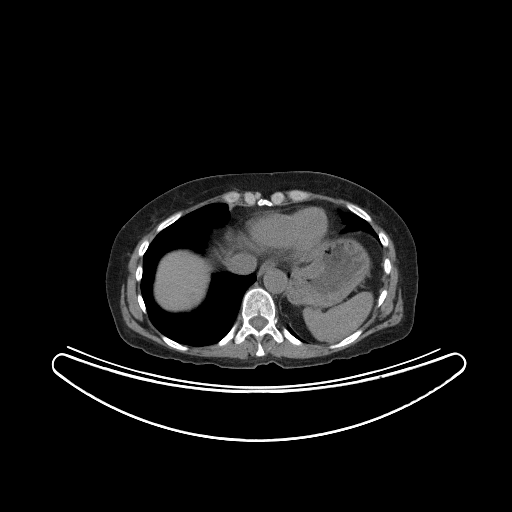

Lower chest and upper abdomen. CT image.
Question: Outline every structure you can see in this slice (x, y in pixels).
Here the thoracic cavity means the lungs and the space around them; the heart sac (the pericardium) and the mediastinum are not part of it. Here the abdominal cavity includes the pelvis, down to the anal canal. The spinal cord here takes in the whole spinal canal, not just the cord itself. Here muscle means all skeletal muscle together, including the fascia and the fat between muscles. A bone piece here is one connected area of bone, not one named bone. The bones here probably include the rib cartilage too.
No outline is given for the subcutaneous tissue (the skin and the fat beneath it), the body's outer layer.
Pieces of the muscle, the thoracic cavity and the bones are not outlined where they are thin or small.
Answer: thoracic cavity 1: (218, 202) (228, 205) (228, 221) (212, 230) (203, 253) (178, 247) (159, 258) (151, 286) (153, 300) (168, 313) (189, 313) (206, 298) (216, 272) (254, 273) (255, 280) (244, 292) (224, 336) (211, 344) (183, 344) (163, 334) (147, 313) (140, 286) (143, 257) (162, 230)
thoracic cavity 2: (347, 211) (349, 211) (355, 214) (360, 218) (369, 223) (371, 227) (377, 234) (377, 237) (379, 241) (370, 235) (369, 233) (367, 233) (365, 231) (357, 230) (356, 231) (346, 231) (343, 232) (342, 229) (344, 227) (344, 224) (342, 222) (340, 214) (342, 212) (344, 213)
thoracic cavity 3: (278, 311) (280, 312) (280, 314) (283, 320) (288, 325) (288, 326) (290, 328) (291, 328) (293, 330) (293, 331) (295, 332) (295, 333) (301, 339) (298, 338) (296, 336) (292, 334) (288, 330) (288, 329) (286, 327) (285, 327) (280, 322) (278, 318) (278, 314) (277, 313)
abdominal cavity 1: (341, 231) (343, 233) (357, 231) (365, 232) (379, 242) (383, 252) (382, 268) (384, 273) (381, 290) (369, 318) (361, 327) (349, 335) (331, 344) (312, 343) (304, 341) (284, 320) (279, 310) (279, 301) (289, 285) (293, 264) (315, 250) (329, 237) (339, 234)
abdominal cavity 2: (210, 237) (212, 241) (229, 256) (227, 265) (223, 268) (223, 270) (216, 271) (212, 274) (206, 296) (201, 304) (195, 309) (189, 312) (179, 313) (172, 313) (162, 309) (156, 303) (152, 294) (154, 276) (160, 258) (167, 252) (178, 248) (188, 248) (203, 254) (206, 250)
mediastinum: (307, 200) (347, 210) (339, 214) (343, 224) (339, 233) (330, 236) (335, 225) (325, 207) (304, 203) (285, 207) (253, 209) (222, 237) (236, 252) (293, 263) (278, 310) (267, 290) (250, 287) (256, 280) (254, 272) (224, 270) (230, 256) (210, 235) (229, 221) (229, 205) (238, 204) (271, 207) (288, 202)
pericardium: (304, 204) (314, 204) (325, 208) (329, 212) (334, 226) (331, 234) (324, 241) (315, 249) (294, 262) (291, 263) (279, 258) (264, 257) (256, 255) (255, 253) (249, 251) (236, 251) (231, 247) (223, 237) (230, 227) (245, 216) (246, 214) (253, 210) (270, 208) (285, 208)
bones 1: (253, 287) (261, 287) (271, 295) (277, 310) (277, 326) (286, 328) (302, 341) (301, 345) (293, 344) (286, 338) (279, 343) (270, 334) (265, 334) (260, 341) (263, 356) (256, 355) (257, 339) (251, 334) (238, 344) (231, 339) (224, 345) (217, 345) (235, 322) (245, 292); inner edge: (257, 316) (260, 316) (261, 317) (262, 317) (263, 318) (264, 318) (267, 321) (267, 322) (266, 323) (266, 324) (262, 328) (261, 328) (260, 329) (256, 329) (250, 323) (250, 320) (252, 318) (253, 318) (254, 317) (256, 317)
bones 2: (293, 189) (307, 192) (309, 194) (309, 198) (295, 202) (287, 199) (283, 204) (280, 205) (246, 205) (241, 199) (232, 204) (228, 204) (223, 201) (223, 196) (232, 191) (238, 192) (242, 195) (249, 191) (257, 193) (262, 197) (267, 197) (275, 191) (281, 191) (285, 194)
bones 3: (347, 202) (351, 202) (352, 203) (359, 206) (361, 208) (362, 208) (370, 216) (370, 217) (371, 218) (371, 222) (368, 222) (366, 220) (365, 220) (363, 218) (360, 217) (355, 213) (348, 210) (346, 208) (346, 207) (345, 206) (345, 204)
bones 4: (360, 328) (361, 328) (362, 329) (362, 332) (352, 342) (351, 342) (344, 346) (342, 346) (339, 348) (330, 348) (329, 347) (329, 346) (330, 345) (331, 345) (332, 344) (335, 344) (336, 343) (339, 342) (341, 340) (342, 340) (344, 338) (349, 336) (351, 334) (352, 334)
bones 5: (178, 211) (181, 211) (182, 212) (182, 216) (178, 219) (177, 219) (174, 222) (173, 222) (171, 224) (167, 226) (165, 228) (162, 229) (159, 232) (157, 233) (156, 232) (156, 229) (158, 225) (163, 220) (167, 218) (170, 215)
bones 6: (162, 334) (163, 335) (166, 336) (168, 338) (169, 338) (180, 344) (182, 344) (183, 345) (185, 345) (186, 346) (187, 346) (188, 347) (188, 349) (185, 351) (180, 351) (179, 350) (177, 350) (176, 349) (169, 346) (162, 339) (162, 338) (161, 337) (161, 335)
bones 7: (380, 230) (383, 230) (385, 232) (385, 233) (386, 234) (386, 235) (387, 236) (387, 237) (388, 238) (388, 244) (387, 245) (387, 246) (386, 247) (384, 247) (383, 246) (382, 246) (382, 245) (380, 243) (380, 241) (379, 240) (379, 238) (378, 237) (378, 232)
bones 8: (144, 239) (148, 239) (150, 241) (150, 242) (149, 243) (149, 244) (148, 245) (148, 246) (147, 247) (147, 248) (146, 249) (146, 250) (145, 251) (143, 256) (139, 256) (139, 255) (138, 254) (138, 251) (139, 250) (139, 247) (140, 246) (142, 241)
bones 9: (384, 288) (387, 290) (387, 294) (386, 295) (385, 298) (383, 300) (382, 303) (380, 305) (380, 306) (377, 307) (376, 306) (376, 304) (377, 303) (377, 300) (378, 299) (378, 297) (380, 294) (380, 292) (382, 290) (382, 289) (383, 289)
bones 10: (139, 293) (140, 293) (141, 294) (141, 296) (142, 297) (142, 299) (144, 302) (144, 305) (145, 306) (145, 309) (146, 310) (146, 313) (144, 313) (142, 311) (142, 310) (141, 309) (141, 308) (139, 305) (139, 303) (138, 302) (138, 300) (137, 299) (137, 295)
spinal cord: (257, 316) (260, 316) (261, 317) (262, 317) (263, 318) (264, 318) (267, 321) (267, 322) (266, 323) (266, 324) (262, 328) (261, 328) (260, 329) (256, 329) (250, 323) (250, 320) (252, 318) (253, 318) (254, 317) (256, 317)
muscle 1: (386, 232) (395, 249) (398, 269) (397, 287) (401, 289) (403, 301) (401, 320) (393, 326) (373, 332) (358, 342) (327, 355) (308, 358) (265, 355) (261, 342) (265, 335) (270, 335) (279, 344) (286, 339) (296, 346) (307, 342) (339, 349) (352, 343) (363, 332) (362, 326) (370, 318) (374, 308) (381, 306) (388, 294) (388, 290) (382, 288) (384, 274) (388, 275) (392, 269) (391, 261) (388, 257) (384, 257) (383, 251) (383, 247) (386, 248) (389, 244)
muscle 2: (158, 223) (156, 234) (151, 241) (144, 238) (138, 247) (137, 254) (142, 257) (142, 263) (136, 266) (134, 272) (140, 287) (136, 299) (141, 311) (147, 314) (161, 333) (161, 339) (162, 340) (169, 347) (179, 351) (168, 348) (128, 327) (120, 308) (121, 287) (127, 282) (131, 254) (141, 238)
muscle 3: (249, 335) (253, 336) (256, 339) (255, 355) (258, 357) (249, 357) (245, 360) (231, 357) (196, 356) (180, 352) (185, 352) (189, 349) (189, 347) (186, 345) (205, 346) (216, 343) (217, 346) (221, 347) (231, 340) (233, 340) (234, 343) (238, 345) (243, 342) (246, 337)
muscle 4: (226, 192) (227, 192) (222, 196) (222, 201) (218, 201) (217, 202) (208, 203) (184, 215) (183, 215) (183, 212) (181, 210) (180, 210) (187, 208) (198, 202) (203, 201) (208, 198) (210, 198) (211, 197) (213, 197) (214, 196) (216, 196) (217, 195) (219, 195)
muscle 5: (306, 191) (309, 191) (313, 193) (323, 194) (324, 195) (327, 195) (328, 196) (331, 196) (336, 198) (341, 198) (348, 201) (347, 201) (344, 204) (345, 208) (335, 203) (333, 203) (329, 201) (326, 201) (321, 199) (309, 199) (310, 198) (310, 194) (307, 191)
muscle 6: (371, 216) (377, 222) (377, 223) (378, 224) (379, 224) (379, 225) (380, 226) (381, 226) (384, 229) (384, 230) (383, 229) (380, 229) (377, 232) (377, 233) (375, 231) (375, 230) (372, 227) (372, 226) (370, 223) (371, 223) (372, 222) (372, 218) (371, 217)
torso: (289, 170) (325, 172) (353, 181) (378, 195) (401, 216) (413, 237) (418, 266) (414, 322) (408, 335) (365, 354) (297, 369) (284, 369) (274, 363) (253, 369) (196, 365) (156, 357) (127, 344) (117, 332) (107, 302) (105, 273) (114, 238) (130, 217) (160, 194) (196, 178)